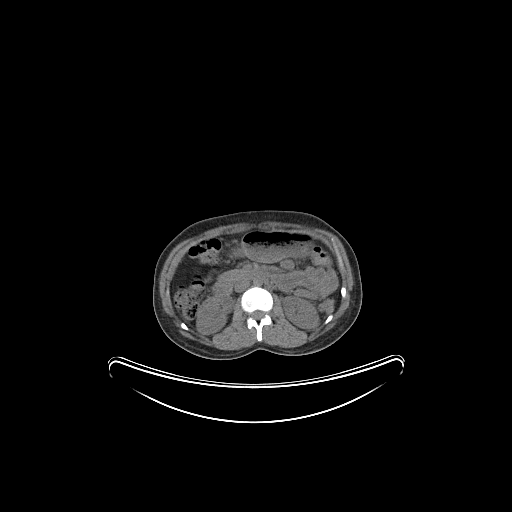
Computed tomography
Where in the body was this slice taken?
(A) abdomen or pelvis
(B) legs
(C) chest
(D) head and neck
(A) abdomen or pelvis
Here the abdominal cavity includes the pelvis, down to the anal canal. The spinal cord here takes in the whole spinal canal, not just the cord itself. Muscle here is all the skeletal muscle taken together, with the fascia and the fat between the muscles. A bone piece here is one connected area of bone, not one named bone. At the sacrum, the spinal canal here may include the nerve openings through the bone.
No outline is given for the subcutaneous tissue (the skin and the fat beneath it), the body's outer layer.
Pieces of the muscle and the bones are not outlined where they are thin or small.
{"bones":[{"outer":[[251,287],[261,287],[266,289],[271,293],[273,299],[273,305],[268,312],[272,323],[271,324],[265,324],[262,327],[261,329],[261,341],[257,340],[256,329],[253,326],[250,328],[247,327],[246,320],[248,314],[242,309],[240,303],[242,293],[245,290]],"hole":[[256,310],[259,310],[260,311],[262,311],[264,313],[264,314],[263,315],[263,316],[261,318],[260,318],[258,320],[257,320],[256,319],[255,319],[252,316],[252,313],[254,311],[255,311]]},[[331,314],[332,315],[332,316],[332,317],[332,318],[331,319],[331,320],[330,321],[329,321],[328,322],[327,323],[326,323],[325,323],[324,323],[324,322],[324,321],[325,320],[326,319],[327,318],[327,317],[328,316],[329,315],[330,315]],[[182,322],[183,322],[184,323],[185,324],[186,325],[187,326],[188,327],[188,328],[188,329],[187,330],[186,330],[185,329],[184,329],[183,328],[182,328],[181,327],[181,326],[181,325],[181,324],[181,323]]],"muscle":[[[264,221],[295,223],[309,227],[320,228],[335,235],[342,243],[352,270],[354,283],[350,293],[350,304],[338,323],[324,334],[300,346],[286,348],[277,345],[269,345],[262,342],[263,327],[265,325],[271,325],[273,323],[269,313],[274,305],[272,294],[279,296],[279,302],[286,319],[295,327],[305,333],[311,332],[323,321],[324,324],[327,324],[332,320],[332,313],[337,310],[341,297],[343,299],[346,297],[347,290],[346,287],[342,285],[342,278],[334,253],[320,239],[307,232],[291,228],[253,227],[240,232],[223,233],[210,236],[190,244],[177,265],[171,279],[169,285],[169,297],[175,312],[184,321],[180,323],[180,327],[186,331],[189,329],[189,327],[199,334],[210,338],[215,336],[218,332],[229,325],[233,315],[234,304],[236,299],[240,295],[240,307],[247,314],[245,320],[246,327],[248,329],[253,327],[255,329],[257,342],[249,347],[244,347],[237,350],[220,350],[200,344],[180,334],[163,310],[159,293],[160,273],[165,260],[171,250],[181,241],[219,226],[242,222],[257,224]]],"abdominal_cavity":[[[253,228],[296,230],[325,244],[335,257],[341,278],[339,303],[336,310],[315,328],[305,332],[287,319],[278,294],[261,286],[251,286],[235,299],[228,325],[215,335],[207,337],[192,329],[173,306],[170,285],[177,267],[190,245],[210,237],[240,233]]],"spinal_cord":[[[256,310],[259,310],[260,311],[262,311],[264,313],[264,314],[263,315],[263,316],[261,318],[260,318],[258,320],[257,320],[256,319],[255,319],[252,316],[252,313],[254,311],[255,311]]],"torso":[[[258,209],[311,213],[325,220],[343,235],[351,245],[359,265],[363,292],[359,314],[338,340],[324,349],[305,355],[280,355],[265,350],[256,350],[245,356],[227,360],[194,355],[172,342],[156,319],[152,304],[156,261],[164,247],[188,225],[213,216]]]}